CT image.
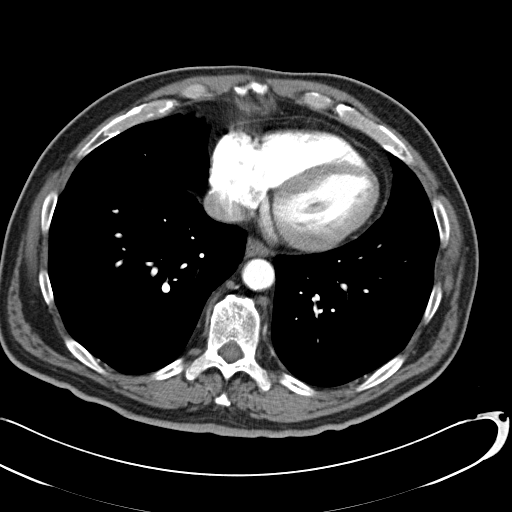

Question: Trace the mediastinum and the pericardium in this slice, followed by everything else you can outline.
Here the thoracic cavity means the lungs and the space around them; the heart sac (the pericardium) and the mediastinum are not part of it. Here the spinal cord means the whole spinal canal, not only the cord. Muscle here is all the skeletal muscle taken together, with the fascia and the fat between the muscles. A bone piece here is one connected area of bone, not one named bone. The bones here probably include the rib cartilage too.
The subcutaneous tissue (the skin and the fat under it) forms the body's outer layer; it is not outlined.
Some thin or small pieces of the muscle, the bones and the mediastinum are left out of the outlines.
Answer: The mediastinum appears in 3 outlined pieces: piece 1: (230, 90) (241, 97) (249, 91) (257, 95) (273, 92) (312, 110) (330, 111) (371, 138) (391, 154) (392, 181) (387, 201) (388, 178) (378, 158) (353, 136) (321, 119) (272, 116) (226, 126) (209, 157) (209, 130) (202, 118) (180, 113) (162, 117) (176, 106) (213, 99); piece 2: (244, 229) (274, 252) (281, 253) (277, 254) (273, 259) (275, 288) (270, 317) (267, 322) (266, 339) (261, 339) (262, 317) (256, 301) (250, 296) (235, 293) (228, 293) (213, 304) (206, 336) (200, 335) (205, 327) (210, 297) (232, 275) (243, 259) (247, 235); piece 3: (209, 181) (209, 189) (210, 191) (214, 192) (216, 194) (219, 198) (223, 208) (225, 209) (228, 215) (237, 224) (243, 228) (236, 224) (226, 223) (213, 219) (210, 217) (206, 213) (203, 206) (199, 202) (196, 196) (189, 191) (189, 190) (192, 191) (201, 190) (207, 185). The pericardium is outlined by (272, 117) (301, 117) (327, 122) (353, 137) (377, 158) (387, 178) (386, 202) (379, 215) (357, 236) (336, 247) (323, 251) (301, 252) (300, 255) (276, 252) (237, 223) (224, 208) (217, 194) (211, 191) (209, 176) (210, 155) (213, 153) (213, 147) (226, 127) (251, 119). The torso is outlined by (216, 65) (331, 73) (381, 90) (427, 128) (464, 195) (476, 232) (479, 261) (461, 344) (433, 381) (360, 423) (309, 436) (285, 437) (226, 436) (164, 428) (125, 417) (29, 374) (9, 359) (0, 344) (3, 240) (24, 184) (50, 141) (89, 104) (128, 81) (174, 68). The thoracic cavity appears in 2 outlined pieces: piece 1: (175, 114) (202, 119) (208, 130) (208, 181) (201, 189) (188, 191) (210, 218) (243, 229) (245, 247) (235, 270) (209, 297) (204, 327) (196, 345) (185, 355) (150, 373) (126, 374) (95, 357) (66, 329) (54, 300) (48, 272) (49, 230) (59, 195) (84, 157) (131, 127); piece 2: (390, 155) (402, 161) (416, 175) (431, 205) (439, 240) (434, 263) (433, 285) (421, 319) (399, 353) (365, 377) (332, 387) (314, 387) (287, 372) (266, 343) (276, 288) (274, 259) (279, 254) (300, 256) (301, 254) (323, 252) (360, 236) (382, 215) (389, 199) (393, 181). The bones appear in 13 outlined pieces: piece 1: (228, 294) (247, 296) (255, 301) (261, 317) (255, 358) (266, 370) (270, 388) (262, 391) (244, 371) (238, 371) (226, 380) (214, 366) (202, 371) (193, 380) (188, 380) (183, 371) (165, 379) (151, 379) (152, 372) (177, 358) (182, 357) (186, 367) (204, 351) (214, 304); inner edge: (231, 341) (233, 341) (235, 342) (240, 348) (241, 350) (241, 352) (242, 353) (242, 356) (238, 359) (237, 359) (235, 361) (233, 361) (232, 362) (228, 362) (226, 361) (219, 354) (219, 350) (220, 348) (223, 345); piece 2: (311, 91) (318, 92) (331, 98) (333, 106) (338, 103) (352, 106) (367, 119) (387, 127) (405, 144) (413, 157) (413, 163) (409, 166) (407, 165) (398, 157) (384, 149) (371, 137) (338, 119) (338, 116) (330, 107) (327, 109) (316, 110) (300, 103) (304, 93); piece 3: (172, 98) (177, 101) (177, 104) (168, 112) (167, 114) (161, 117) (144, 121) (133, 126) (131, 126) (103, 142) (85, 156) (83, 157) (78, 157) (77, 156) (79, 150) (104, 125) (113, 118) (125, 113) (132, 107) (139, 105) (142, 103) (147, 103) (152, 101) (171, 99); piece 4: (398, 354) (404, 355) (405, 356) (405, 359) (400, 367) (395, 372) (380, 383) (376, 385) (374, 385) (369, 388) (364, 389) (361, 391) (357, 391) (355, 389) (356, 387) (365, 379) (366, 376) (367, 377) (370, 375) (375, 370) (379, 368) (382, 365) (386, 363) (389, 360); piece 5: (66, 336) (71, 337) (73, 339) (74, 339) (82, 346) (83, 346) (95, 358) (99, 359) (100, 360) (99, 364) (106, 371) (106, 373) (105, 374) (99, 373) (95, 370) (92, 369) (90, 367) (87, 366) (77, 358) (76, 358) (66, 347) (64, 343) (64, 337); piece 6: (435, 197) (439, 199) (444, 206) (444, 208) (446, 211) (447, 217) (449, 221) (449, 239) (445, 246) (442, 246) (440, 243) (438, 227) (437, 226) (436, 220) (435, 219) (435, 217) (433, 213) (433, 210) (432, 209) (431, 201) (432, 199); piece 7: (51, 190) (56, 190) (58, 193) (58, 197) (57, 198) (57, 201) (56, 202) (56, 204) (55, 205) (55, 207) (53, 211) (53, 214) (51, 218) (51, 221) (50, 222) (50, 225) (49, 226) (48, 232) (44, 233) (41, 229) (41, 210) (42, 209) (43, 201) (46, 195); piece 8: (282, 372) (286, 372) (292, 375) (297, 379) (313, 387) (316, 390) (317, 392) (316, 394) (312, 396) (306, 396) (305, 395) (301, 395) (300, 394) (298, 394) (290, 390) (287, 387) (281, 384) (279, 382) (279, 380) (281, 377); piece 9: (436, 283) (440, 283) (441, 285) (441, 288) (442, 289) (442, 297) (441, 298) (440, 303) (435, 313) (433, 315) (431, 319) (427, 323) (425, 323) (422, 320) (422, 316) (424, 313) (425, 308) (427, 305) (427, 303) (428, 302) (428, 300) (429, 299) (432, 288) (434, 284); piece 10: (252, 80) (255, 80) (259, 82) (263, 82) (267, 84) (268, 86) (268, 92) (267, 92) (265, 94) (257, 94) (253, 92) (251, 90) (249, 90) (246, 94) (241, 96) (240, 95) (238, 95) (233, 90) (233, 85) (241, 85) (242, 84) (247, 83); piece 11: (41, 269) (46, 269) (48, 273) (49, 281) (50, 282) (50, 284) (51, 285) (51, 289) (53, 293) (53, 300) (54, 301) (52, 303) (51, 303) (50, 305) (48, 305) (45, 302) (43, 298) (41, 290) (40, 289) (39, 280) (38, 279) (38, 274) (39, 273) (39, 271); piece 12: (195, 83) (198, 83) (199, 84) (201, 84) (203, 85) (206, 88) (207, 91) (209, 93) (208, 95) (206, 96) (202, 96) (198, 99) (197, 99) (196, 98) (192, 98) (191, 97) (183, 97) (180, 94) (180, 91) (184, 87) (190, 84) (194, 84); piece 13: (222, 393) (225, 393) (226, 394) (226, 395) (227, 396) (227, 397) (228, 398) (228, 399) (230, 402) (230, 404) (228, 406) (225, 406) (224, 405) (221, 405) (220, 404) (217, 404) (216, 403) (215, 403) (215, 402) (214, 401) (214, 399) (216, 397) (217, 397). The muscle appears in 2 outlined pieces: piece 1: (234, 73) (251, 73) (259, 76) (266, 76) (274, 78) (301, 79) (315, 81) (336, 87) (351, 94) (361, 101) (375, 115) (400, 133) (420, 154) (435, 174) (439, 183) (443, 185) (452, 206) (455, 210) (464, 244) (464, 268) (462, 270) (461, 287) (457, 300) (457, 312) (458, 313) (457, 324) (450, 345) (440, 359) (426, 371) (414, 375) (398, 383) (381, 395) (352, 408) (348, 408) (331, 414) (322, 415) (315, 418) (301, 421) (279, 422) (267, 419) (259, 419) (254, 417) (250, 417) (244, 414) (240, 414) (234, 410) (231, 410) (229, 408) (231, 402) (227, 394) (225, 392) (222, 392) (213, 399) (214, 402) (200, 408) (195, 409) (188, 408) (187, 410) (182, 411) (166, 410) (165, 408) (155, 407) (128, 397) (119, 392) (116, 392) (88, 377) (80, 375) (68, 369) (51, 364) (38, 358) (25, 350) (14, 338) (10, 331) (7, 313) (7, 298) (8, 291) (16, 265) (18, 250) (21, 243) (21, 236) (23, 231) (23, 227) (30, 211) (32, 203) (43, 185) (47, 174) (59, 159) (69, 149) (77, 144) (105, 119) (122, 109) (128, 107) (150, 92) (168, 83) (192, 76) (222, 75); inner edge: (252, 80) (298, 104) (314, 91) (333, 106) (352, 106) (405, 144) (414, 161) (409, 167) (449, 221) (449, 239) (439, 244) (434, 263) (433, 283) (442, 289) (435, 313) (427, 323) (419, 321) (399, 353) (405, 356) (400, 367) (361, 391) (355, 389) (364, 377) (315, 387) (312, 396) (290, 390) (279, 382) (286, 370) (265, 339) (255, 358) (271, 382) (266, 391) (244, 371) (226, 380) (214, 366) (193, 380) (183, 371) (155, 380) (101, 361) (106, 373) (97, 372) (66, 347) (64, 337) (71, 336) (40, 289) (39, 271) (48, 269) (49, 233) (41, 229) (46, 195) (61, 193) (83, 158) (79, 150) (132, 107) (172, 98) (183, 107) (197, 100) (180, 94) (190, 84) (203, 85) (209, 94) (198, 99) (209, 100); piece 2: (200, 336) (205, 337) (205, 348) (203, 350) (203, 351) (197, 356) (196, 356) (191, 361) (191, 362) (188, 365) (185, 366) (184, 365) (184, 358) (183, 357) (184, 356) (185, 356) (189, 352) (190, 349) (191, 349) (193, 347) (195, 347) (197, 345) (197, 344) (199, 341). The spinal cord is outlined by (231, 341) (233, 341) (235, 342) (240, 348) (241, 350) (241, 352) (242, 353) (242, 356) (238, 359) (237, 359) (235, 361) (233, 361) (232, 362) (228, 362) (226, 361) (219, 354) (219, 350) (220, 348) (223, 345).